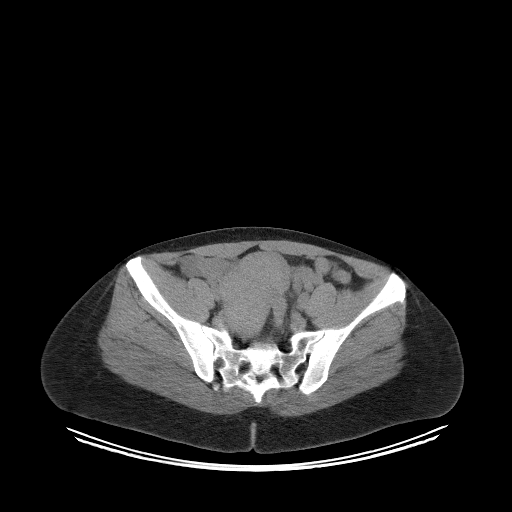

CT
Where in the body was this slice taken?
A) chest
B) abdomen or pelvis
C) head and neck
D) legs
Answer: B) abdomen or pelvis
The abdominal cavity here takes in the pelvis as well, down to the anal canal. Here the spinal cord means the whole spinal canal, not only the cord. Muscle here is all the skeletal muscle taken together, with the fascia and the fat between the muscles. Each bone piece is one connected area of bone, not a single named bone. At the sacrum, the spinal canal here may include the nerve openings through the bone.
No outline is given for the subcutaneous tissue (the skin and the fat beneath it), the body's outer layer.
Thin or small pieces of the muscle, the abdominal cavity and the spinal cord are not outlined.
abdominal cavity: 255 246; 310 259; 334 256; 347 264; 363 280; 363 285; 338 289; 330 282; 318 284; 304 306; 316 329; 296 330; 288 337; 288 343; 234 341; 226 328; 206 324; 214 305; 207 282; 198 277; 180 277; 175 267; 191 254; 233 259
muscle 1: 124 264; 142 297; 175 329; 195 374; 214 391; 237 387; 257 404; 271 389; 297 385; 310 395; 328 379; 337 352; 359 323; 405 303; 407 284; 405 364; 378 386; 298 416; 258 406; 234 414; 186 406; 128 383; 103 365; 97 335
muscle 2: 269 239; 316 245; 368 260; 391 270; 370 301; 348 323; 339 327; 317 329; 305 308; 308 298; 322 283; 330 283; 338 290; 357 290; 364 285; 364 280; 347 263; 334 255; 310 258; 262 249; 257 245; 233 258; 193 253; 186 255; 175 264; 174 271; 177 276; 187 281; 191 278; 205 281; 211 290; 213 305; 208 311; 205 324; 183 316; 170 305; 145 268; 141 255; 185 250; 212 243
bones: 138 255; 174 310; 226 329; 238 350; 268 341; 288 353; 296 331; 348 324; 391 271; 404 280; 406 295; 404 303; 355 326; 315 391; 304 394; 297 384; 271 388; 257 403; 242 388; 214 390; 196 374; 176 329; 143 297; 126 269 with holes at 244 361; 246 361; 247 362; 248 362; 248 363; 249 364; 249 365; 248 366; 248 367; 246 369; 246 370; 245 370; 244 371; 242 371; 241 370; 240 370; 240 369; 239 368; 239 367; 240 366; 240 365; 241 364; 241 363 and at 275 364; 276 364; 277 365; 278 365; 278 366; 279 367; 279 371; 278 372; 278 373; 277 373; 276 374; 275 374; 274 373; 273 373; 273 372; 272 371; 272 367; 273 366; 273 365; 274 365
torso: 232 226; 299 230; 343 243; 398 266; 440 309; 458 338; 464 385; 456 404; 439 417; 393 425; 329 445; 270 454; 252 449; 226 453; 198 448; 85 418; 55 406; 41 384; 40 356; 51 331; 72 304; 120 260; 140 248; 187 234
spinal cord 1: 281 342; 284 342; 285 343; 286 343; 287 344; 290 345; 290 346; 291 347; 291 349; 290 350; 290 351; 289 351; 288 352; 284 352; 283 351; 282 351; 281 350; 281 349; 280 348; 279 348; 279 347; 278 346; 279 343; 280 343
spinal cord 2: 244 361; 246 361; 247 362; 248 362; 248 363; 249 364; 249 365; 248 366; 248 367; 246 369; 246 370; 245 370; 244 371; 242 371; 241 370; 240 370; 240 369; 239 368; 239 367; 240 366; 240 365; 241 364; 241 363